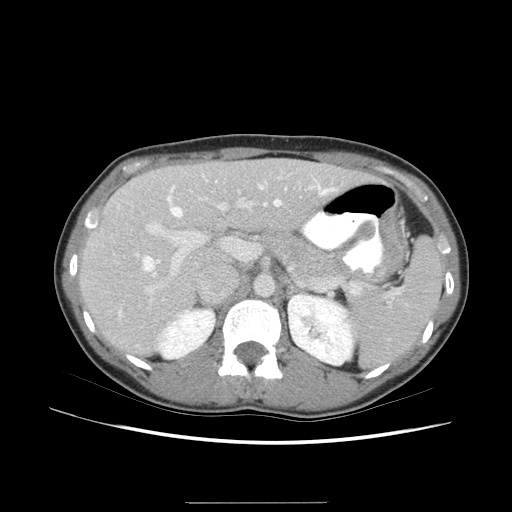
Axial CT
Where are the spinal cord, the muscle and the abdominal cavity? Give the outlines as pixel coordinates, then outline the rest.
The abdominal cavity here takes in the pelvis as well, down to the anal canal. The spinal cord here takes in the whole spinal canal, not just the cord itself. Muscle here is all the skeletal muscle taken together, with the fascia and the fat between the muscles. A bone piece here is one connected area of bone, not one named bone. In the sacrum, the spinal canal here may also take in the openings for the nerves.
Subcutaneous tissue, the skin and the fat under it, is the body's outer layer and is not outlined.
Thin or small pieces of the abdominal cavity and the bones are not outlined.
{"spinal_cord":[[[249,365],[250,364],[253,365],[254,364],[259,363],[260,362],[260,357],[266,352],[264,347],[261,344],[257,342],[255,342],[254,341],[248,341],[247,342],[241,343],[239,344],[235,349],[235,352],[238,356],[238,358],[242,362],[246,364],[248,364]]],"muscle":[{"outer":[[305,411],[316,411],[317,410],[328,409],[329,408],[345,405],[364,396],[381,384],[384,383],[387,380],[408,370],[415,365],[424,356],[436,341],[437,338],[450,320],[455,310],[460,295],[460,273],[459,272],[458,249],[457,248],[456,239],[450,223],[442,206],[438,201],[434,193],[421,179],[415,175],[385,161],[355,152],[338,151],[337,150],[330,150],[329,151],[299,151],[298,150],[288,150],[287,149],[265,149],[264,148],[256,148],[255,147],[226,147],[225,148],[219,148],[213,150],[202,150],[201,151],[153,153],[152,154],[146,154],[145,155],[130,157],[120,162],[99,184],[81,208],[74,227],[72,229],[69,236],[62,261],[62,266],[63,267],[61,275],[62,287],[69,302],[69,306],[73,312],[73,314],[80,327],[80,329],[89,344],[95,352],[104,360],[126,372],[146,389],[158,396],[163,397],[172,401],[176,401],[190,405],[202,405],[203,404],[207,405],[211,404],[214,405],[232,405],[239,402],[247,402],[248,401],[249,402],[256,402],[262,405],[270,406],[271,407],[304,410]],"holes":[[[248,380],[282,377],[275,345],[284,324],[299,350],[364,378],[430,337],[431,313],[443,290],[453,291],[441,255],[451,248],[391,178],[281,153],[171,163],[130,175],[88,211],[69,273],[89,330],[151,370],[149,362],[199,349],[218,327],[218,373]],[[423,202],[425,202],[428,199],[428,197],[427,195],[422,191],[421,188],[412,180],[400,172],[394,169],[391,169],[385,166],[374,166],[373,167],[376,170],[378,170],[385,174],[388,174],[400,181],[404,185],[409,188],[415,194],[415,195],[421,201]],[[123,172],[131,172],[132,171],[137,169],[139,167],[140,167],[141,166],[148,163],[149,162],[149,160],[148,159],[143,159],[142,160],[140,160],[139,161],[136,161],[135,162],[134,162],[133,163],[131,163],[128,165],[125,165],[122,167],[122,171]]]}],"abdominal_cavity":[[[350,372],[367,372],[407,351],[444,289],[437,236],[421,208],[391,178],[278,153],[157,166],[130,175],[109,194],[96,226],[84,238],[76,276],[97,330],[116,349],[148,363],[178,359],[221,329],[233,303],[260,298],[278,309],[295,347],[320,363]]],"bones":[{"outer":[[248,380],[250,380],[253,376],[262,376],[268,379],[282,377],[282,373],[278,367],[276,357],[277,350],[275,346],[281,332],[279,314],[274,306],[260,299],[243,299],[233,304],[229,308],[222,326],[224,348],[218,373],[221,376],[227,374],[242,375]],"hole":[[249,365],[250,364],[253,365],[254,364],[259,363],[260,362],[260,357],[266,352],[264,347],[261,344],[257,342],[255,342],[254,341],[248,341],[247,342],[241,343],[239,344],[235,349],[235,352],[238,356],[238,358],[242,362],[246,364],[248,364]]},[[423,202],[425,202],[428,199],[428,197],[427,195],[422,191],[421,188],[412,180],[400,172],[394,169],[391,169],[385,166],[374,166],[373,167],[376,170],[378,170],[385,174],[388,174],[400,181],[404,185],[409,188],[415,194],[415,195],[421,201]],[[88,229],[89,229],[90,228],[95,226],[95,225],[96,224],[96,222],[97,221],[97,214],[98,213],[98,209],[96,207],[95,207],[94,208],[89,210],[88,211],[88,212],[85,217],[85,219],[84,220],[84,226],[86,228],[87,228]],[[146,370],[151,370],[152,369],[152,367],[149,364],[148,364],[146,362],[145,362],[144,361],[143,361],[142,360],[141,360],[132,355],[130,355],[129,354],[125,354],[126,357],[132,363],[133,363],[135,365],[136,365],[139,367],[141,367]],[[364,378],[370,378],[371,377],[374,377],[375,376],[377,376],[383,371],[384,371],[389,366],[389,365],[390,364],[390,362],[387,362],[385,364],[384,364],[383,365],[381,365],[380,366],[379,366],[378,367],[369,371],[367,373],[364,374],[362,376]]],"torso":[[[298,421],[368,409],[419,373],[450,336],[467,299],[469,258],[461,227],[440,189],[423,171],[390,151],[325,135],[219,134],[150,144],[117,156],[73,205],[54,254],[57,301],[83,352],[135,399],[157,408],[198,416],[235,415],[248,409],[257,415]]]}